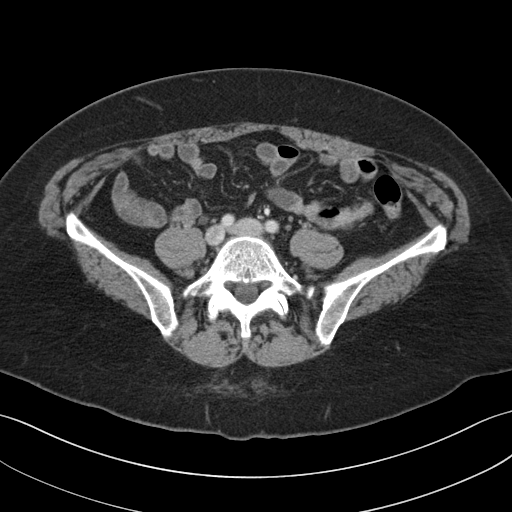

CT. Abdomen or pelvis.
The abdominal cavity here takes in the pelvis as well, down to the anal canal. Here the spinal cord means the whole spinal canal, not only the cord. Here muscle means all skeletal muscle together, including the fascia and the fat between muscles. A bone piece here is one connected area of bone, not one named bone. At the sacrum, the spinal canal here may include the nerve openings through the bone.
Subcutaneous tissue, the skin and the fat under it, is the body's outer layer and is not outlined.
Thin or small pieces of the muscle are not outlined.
{"muscle":[{"outer":[[241,121],[291,125],[302,128],[308,128],[331,135],[338,135],[343,138],[347,138],[351,141],[371,146],[377,149],[383,149],[402,154],[407,157],[412,158],[414,160],[425,163],[443,171],[457,184],[458,187],[463,193],[467,202],[467,207],[470,220],[470,228],[471,229],[471,233],[467,244],[457,251],[438,260],[426,271],[417,289],[405,299],[392,304],[384,305],[377,311],[372,312],[364,316],[358,317],[355,319],[352,319],[346,322],[341,331],[337,334],[333,340],[331,347],[325,352],[311,359],[307,359],[299,363],[287,366],[269,367],[268,368],[256,364],[248,359],[244,355],[223,369],[206,367],[189,360],[168,345],[160,337],[158,332],[151,323],[108,301],[86,281],[79,265],[69,250],[66,247],[53,241],[41,231],[36,214],[37,213],[39,198],[46,183],[58,168],[71,159],[78,156],[81,156],[93,150],[96,150],[104,146],[111,145],[114,143],[122,141],[133,140],[140,138],[149,138],[181,129],[203,127],[213,124],[223,124],[224,123],[240,122]],"holes":[[[260,131],[382,163],[425,229],[303,282],[312,297],[288,296],[284,318],[261,311],[248,339],[228,310],[209,321],[206,296],[183,297],[184,285],[92,229],[170,286],[178,325],[164,338],[132,280],[71,239],[65,216],[90,229],[108,174],[147,145]],[[438,223],[443,224],[447,229],[445,248],[437,253],[430,252],[400,262],[367,283],[351,303],[346,318],[337,329],[331,343],[328,347],[321,345],[315,333],[315,325],[322,308],[322,297],[324,294],[323,285],[335,280],[341,281],[384,263],[416,242]]]},[[170,227],[178,227],[183,229],[187,229],[188,228],[197,228],[199,229],[201,231],[203,235],[203,238],[205,241],[205,245],[206,246],[206,253],[205,255],[192,265],[185,268],[173,269],[166,267],[158,259],[154,251],[154,243],[156,238],[164,230]],[[302,228],[306,228],[310,230],[314,230],[318,233],[328,234],[334,237],[341,245],[343,249],[343,256],[341,261],[334,267],[327,270],[326,269],[318,269],[315,267],[307,265],[298,259],[297,257],[293,256],[289,251],[289,240],[296,230],[298,230]]],"spinal_cord":[[[263,281],[266,282],[264,285],[265,286],[259,291],[255,299],[249,303],[243,303],[240,301],[234,295],[231,290],[226,286],[226,283],[227,282],[232,282],[233,283],[242,282],[245,284],[247,284],[248,283],[258,283],[259,282],[262,282]]],"abdominal_cavity":[{"outer":[[260,131],[279,133],[314,152],[386,166],[425,226],[403,244],[383,253],[359,255],[326,280],[301,283],[285,269],[269,241],[240,233],[221,244],[205,272],[185,285],[176,285],[149,259],[121,249],[91,228],[89,208],[108,174],[145,146],[224,141]],"hole":[[170,227],[178,227],[183,229],[187,229],[188,228],[197,228],[199,229],[201,231],[203,235],[203,238],[205,241],[205,245],[206,246],[206,253],[205,255],[192,265],[185,268],[173,269],[166,267],[158,259],[154,251],[154,243],[156,238],[164,230]]}],"torso":[[[223,67],[295,69],[340,77],[377,88],[427,111],[446,124],[479,156],[511,195],[510,371],[472,378],[436,401],[362,427],[323,435],[284,439],[254,437],[247,440],[140,424],[99,408],[70,401],[0,372],[0,177],[49,128],[105,95],[168,75]]],"bones":[{"outer":[[240,234],[262,237],[294,279],[305,287],[315,286],[310,299],[298,293],[287,297],[289,310],[284,318],[270,308],[255,315],[250,321],[248,339],[240,336],[240,323],[228,310],[209,321],[206,296],[182,296],[185,286],[206,272],[222,244]],"hole":[[263,281],[266,282],[264,285],[265,286],[259,291],[255,299],[249,303],[243,303],[240,301],[234,295],[231,290],[226,286],[226,283],[227,282],[232,282],[233,283],[242,282],[245,284],[247,284],[248,283],[258,283],[259,282],[262,282]]},[[438,223],[443,224],[447,229],[445,248],[437,253],[430,252],[400,262],[367,283],[351,303],[346,318],[337,329],[331,343],[328,347],[321,345],[315,333],[315,325],[322,308],[322,297],[324,294],[323,285],[335,280],[341,281],[384,263],[416,242]],[[69,211],[73,211],[96,237],[116,255],[170,286],[174,301],[174,310],[178,320],[178,325],[171,336],[164,338],[151,321],[148,306],[143,295],[127,275],[105,259],[102,261],[102,258],[99,255],[96,255],[93,250],[70,238],[65,229],[65,216]]]}